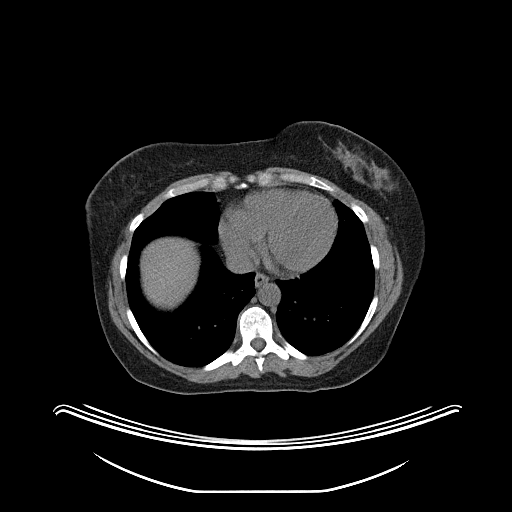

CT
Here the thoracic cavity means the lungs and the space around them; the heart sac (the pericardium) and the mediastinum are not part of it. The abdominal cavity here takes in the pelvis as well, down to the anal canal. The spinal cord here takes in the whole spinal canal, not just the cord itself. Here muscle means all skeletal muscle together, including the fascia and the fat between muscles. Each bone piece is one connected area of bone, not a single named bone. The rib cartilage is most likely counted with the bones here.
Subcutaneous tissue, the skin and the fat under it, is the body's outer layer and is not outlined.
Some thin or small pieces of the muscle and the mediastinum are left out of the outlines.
The thoracic cavity appears in 2 outlined pieces: piece 1: [[199,190],[213,192],[219,208],[217,224],[218,240],[210,246],[211,248],[230,272],[234,274],[254,274],[254,293],[237,317],[237,333],[231,345],[217,357],[202,366],[186,366],[165,358],[149,342],[129,305],[125,280],[132,237],[139,225],[165,200]]; inner edge: [[162,236],[181,236],[193,240],[200,244],[199,251],[201,255],[201,264],[200,265],[197,283],[185,301],[172,311],[159,311],[152,307],[146,301],[144,296],[142,294],[139,283],[139,267],[138,263],[139,262],[140,253],[146,244],[152,240]]; piece 2: [[336,199],[348,206],[363,224],[374,269],[373,295],[358,328],[345,343],[322,354],[308,355],[292,345],[278,328],[274,326],[276,312],[282,297],[282,292],[276,281],[298,278],[301,274],[315,266],[329,251],[338,228],[338,216],[334,206],[334,201]]. The spinal cord is outlined by [[255,338],[261,338],[262,339],[263,339],[264,340],[264,342],[265,343],[265,344],[264,345],[264,346],[261,349],[260,349],[259,350],[257,350],[256,349],[255,349],[251,345],[251,341],[253,339],[254,339]]. The bones appear in 8 outlined pieces: piece 1: [[254,305],[263,308],[273,320],[273,326],[292,346],[308,358],[303,360],[290,356],[285,360],[274,352],[269,352],[264,356],[262,371],[259,370],[255,358],[251,355],[245,356],[237,365],[227,362],[204,371],[203,366],[232,345],[238,333],[240,313]]; inner edge: [[255,338],[261,338],[262,339],[263,339],[264,340],[264,342],[265,343],[265,344],[264,345],[264,346],[261,349],[260,349],[259,350],[257,350],[256,349],[255,349],[251,345],[251,341],[253,339],[254,339]]; piece 2: [[262,172],[276,176],[281,173],[313,175],[333,187],[333,192],[305,183],[283,181],[277,177],[273,185],[249,183],[244,188],[237,188],[230,184],[215,191],[207,186],[163,198],[169,189],[201,178],[235,176],[236,181],[240,182],[245,181],[249,175]]; piece 3: [[374,295],[377,295],[378,299],[377,300],[377,305],[375,308],[375,311],[372,317],[370,319],[368,324],[357,338],[350,344],[348,344],[347,345],[346,343],[357,331],[361,323],[363,321],[367,312],[367,310],[372,300],[372,298]]; piece 4: [[127,307],[129,307],[130,308],[134,316],[134,318],[139,328],[141,330],[142,333],[145,336],[148,342],[159,354],[159,355],[156,355],[154,353],[153,353],[147,347],[146,347],[136,335],[135,332],[133,330],[130,324],[130,322],[126,314],[126,308]]; piece 5: [[351,202],[354,202],[356,204],[357,204],[359,206],[360,206],[363,209],[363,210],[365,212],[365,213],[367,215],[367,216],[368,217],[368,221],[366,223],[363,223],[361,221],[361,220],[357,216],[357,215],[350,208],[350,207],[349,206],[349,204]]; piece 6: [[140,212],[143,213],[144,214],[145,217],[144,218],[144,219],[138,225],[138,226],[134,230],[134,231],[133,232],[131,232],[129,230],[129,226],[130,225],[130,223],[131,222],[132,219],[138,213],[139,213]]; piece 7: [[370,244],[373,244],[377,248],[377,250],[378,251],[378,254],[379,255],[379,268],[378,269],[377,269],[376,270],[374,268],[374,266],[373,265],[373,262],[372,261],[372,256],[371,255],[371,250],[370,249]]; piece 8: [[123,254],[127,254],[127,264],[126,265],[126,270],[125,271],[125,279],[124,280],[122,280],[121,279],[121,277],[120,276],[120,273],[119,272],[119,265],[120,264],[120,259],[121,258],[121,257],[122,256],[122,255]]. The torso is outlined by [[302,120],[338,124],[375,143],[400,166],[417,195],[425,224],[425,255],[387,353],[371,371],[354,382],[313,392],[228,391],[186,395],[136,381],[111,351],[97,314],[84,219],[84,204],[91,189],[114,162],[150,143],[231,143],[263,139],[290,123]]. The pericardium is outlined by [[282,183],[307,186],[323,194],[331,201],[337,216],[336,233],[325,255],[315,265],[301,273],[298,277],[288,279],[279,277],[275,278],[258,269],[251,259],[239,256],[227,257],[220,247],[218,232],[218,224],[224,208],[242,190],[248,187],[275,186]]. The abdominal cavity is outlined by [[162,236],[181,236],[193,240],[200,244],[199,251],[201,255],[201,264],[200,265],[197,283],[185,301],[172,311],[159,311],[152,307],[146,301],[144,296],[142,294],[139,283],[139,267],[138,263],[139,262],[140,253],[146,244],[152,240]]. The muscle appears in 2 outlined pieces: piece 1: [[314,175],[331,181],[380,216],[388,236],[397,245],[403,269],[402,287],[396,302],[369,336],[332,369],[311,377],[264,373],[259,377],[198,383],[152,362],[117,328],[108,309],[106,274],[120,232],[130,221],[128,230],[133,233],[128,253],[121,255],[118,265],[129,306],[125,308],[125,314],[135,335],[156,356],[181,366],[201,367],[204,372],[227,363],[237,366],[245,357],[251,356],[262,372],[265,356],[269,353],[285,361],[290,357],[304,361],[309,356],[350,345],[364,331],[376,311],[379,298],[374,294],[375,270],[380,268],[380,255],[378,248],[369,243],[364,227],[369,217],[364,209],[354,201],[348,205],[344,203],[330,193],[335,191],[333,186]]; piece 2: [[268,167],[286,167],[287,168],[293,168],[304,172],[310,173],[312,174],[310,175],[308,174],[303,174],[302,173],[296,173],[295,172],[281,172],[276,175],[268,171],[262,171],[256,174],[253,174],[252,173],[249,174],[246,176],[245,178],[246,179],[245,180],[241,180],[240,181],[237,181],[238,178],[235,175],[216,175],[212,178],[209,177],[201,177],[193,181],[185,182],[169,188],[162,195],[162,198],[164,200],[155,210],[146,217],[145,214],[143,212],[140,211],[149,201],[163,191],[166,187],[171,183],[177,180],[189,176],[196,175],[197,174],[201,174],[202,173],[213,173],[218,171],[229,171],[237,175],[244,175],[245,174],[251,173],[256,170],[263,170]]. The mediastinum appears in 3 outlined pieces: piece 1: [[218,241],[222,253],[227,258],[239,257],[251,260],[258,270],[275,279],[281,279],[277,279],[275,281],[281,292],[281,297],[275,312],[274,320],[260,305],[254,304],[244,308],[255,293],[255,274],[253,272],[234,273],[230,271],[211,246],[216,244]]; piece 2: [[229,186],[234,186],[234,187],[237,189],[243,189],[242,189],[238,193],[237,193],[234,196],[234,197],[225,205],[220,215],[220,208],[219,207],[219,204],[215,197],[215,194],[214,192],[216,191],[220,191],[221,190],[223,190],[227,188]]; piece 3: [[308,186],[311,186],[312,187],[314,187],[315,188],[317,188],[318,189],[320,189],[321,190],[326,191],[330,194],[331,194],[336,198],[333,201],[333,204],[332,203],[332,201],[327,196],[324,195],[323,193],[319,191],[317,191],[311,188],[309,186]].